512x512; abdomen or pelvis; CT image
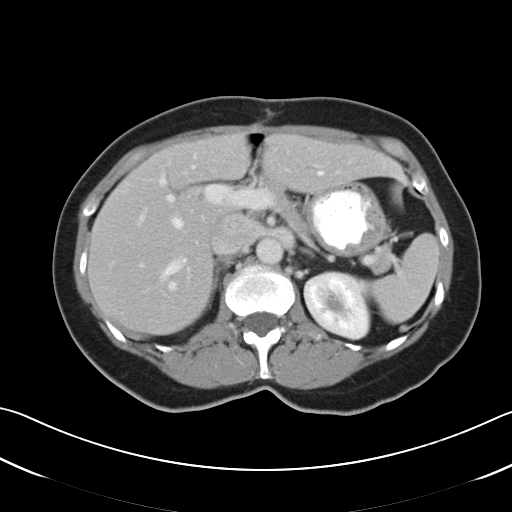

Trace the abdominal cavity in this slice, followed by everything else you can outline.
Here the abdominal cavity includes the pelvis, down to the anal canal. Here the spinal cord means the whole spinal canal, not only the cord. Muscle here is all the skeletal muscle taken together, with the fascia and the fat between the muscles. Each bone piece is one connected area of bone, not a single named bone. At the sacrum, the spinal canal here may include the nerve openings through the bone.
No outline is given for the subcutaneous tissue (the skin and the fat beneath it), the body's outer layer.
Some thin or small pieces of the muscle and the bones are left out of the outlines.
{"abdominal_cavity":[[[241,130],[362,143],[405,163],[440,242],[433,297],[405,333],[373,346],[334,338],[308,317],[292,280],[279,269],[259,263],[232,274],[221,291],[213,321],[183,343],[132,341],[104,316],[90,292],[86,266],[89,222],[105,194],[161,148]]],"bones":[[[255,264],[279,270],[291,280],[295,293],[292,305],[281,319],[286,330],[268,351],[267,367],[271,374],[268,379],[259,376],[257,351],[244,341],[242,327],[263,337],[279,324],[278,317],[256,311],[242,322],[243,317],[227,306],[224,296],[233,274]],[[416,170],[418,170],[419,171],[419,172],[421,174],[421,175],[424,178],[424,179],[426,182],[426,184],[428,187],[428,192],[426,194],[423,194],[422,193],[420,193],[412,185],[412,184],[410,181],[411,180],[411,175],[412,174],[412,173],[413,173]],[[93,196],[96,196],[99,199],[99,201],[98,202],[98,205],[97,206],[97,207],[96,208],[96,209],[95,210],[95,211],[90,216],[84,216],[82,214],[82,210],[83,209],[83,208],[85,206],[85,205],[89,201],[89,200]],[[105,318],[106,319],[107,319],[116,328],[117,328],[123,334],[123,335],[127,339],[127,341],[126,342],[123,342],[122,341],[121,341],[120,340],[117,339],[113,335],[113,334],[110,331],[109,328],[105,323],[105,321],[104,320],[104,319]],[[404,334],[406,334],[407,335],[407,337],[405,339],[405,340],[402,343],[401,343],[398,346],[397,346],[390,350],[385,350],[384,349],[384,347],[385,346],[385,345],[389,341],[390,341],[392,339],[393,339],[398,336],[400,336],[401,335],[403,335]]],"spinal_cord":[[[256,312],[267,312],[268,313],[271,313],[272,314],[274,314],[278,319],[278,324],[275,327],[269,330],[263,336],[260,336],[258,335],[252,330],[249,330],[247,329],[246,327],[244,326],[244,322],[243,321],[245,317],[246,317],[248,315],[250,315]]],"muscle":[{"outer":[[256,121],[274,125],[328,126],[401,140],[422,166],[450,228],[454,251],[448,297],[427,330],[396,354],[333,385],[297,389],[269,379],[272,378],[268,367],[269,351],[287,330],[282,319],[296,299],[295,288],[307,317],[328,336],[344,342],[344,346],[353,351],[363,346],[383,344],[385,351],[398,347],[408,337],[406,332],[426,313],[432,300],[438,308],[445,297],[444,286],[439,279],[440,245],[448,246],[448,233],[443,226],[436,229],[435,220],[420,197],[429,192],[420,171],[416,169],[410,174],[405,162],[385,150],[362,142],[291,131],[241,129],[214,133],[183,139],[157,149],[122,175],[100,201],[93,195],[82,208],[81,214],[90,217],[89,235],[87,249],[83,249],[79,256],[78,269],[81,275],[85,274],[89,292],[104,317],[104,323],[117,340],[150,344],[161,352],[170,352],[172,346],[185,343],[214,321],[223,291],[226,306],[236,316],[242,317],[243,341],[256,351],[259,379],[211,389],[181,384],[150,362],[116,347],[76,288],[73,260],[81,204],[126,152],[140,144],[187,130]],"hole":[[384,144],[398,144],[403,149],[403,150],[404,151],[404,152],[405,153],[405,154],[404,155],[401,155],[400,154],[399,154],[398,153],[397,153],[396,152],[395,152],[394,151],[392,151],[390,149],[388,149],[387,148],[386,148],[383,145]]}],"torso":[[[218,95],[353,99],[404,117],[429,140],[475,228],[481,299],[462,347],[421,385],[392,401],[351,415],[299,411],[268,390],[206,409],[167,412],[146,405],[116,386],[75,344],[57,305],[51,270],[56,226],[71,189],[93,160],[127,129],[180,104]]]}